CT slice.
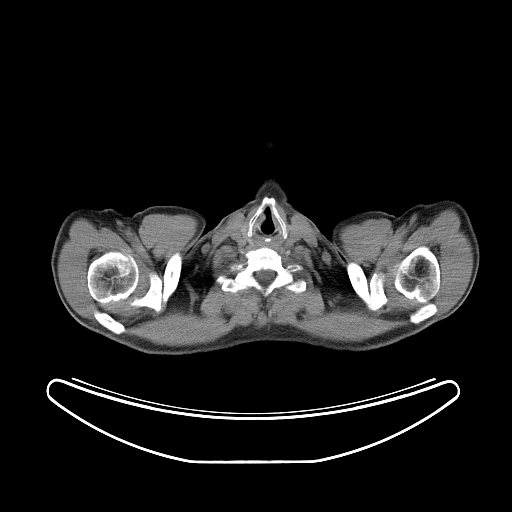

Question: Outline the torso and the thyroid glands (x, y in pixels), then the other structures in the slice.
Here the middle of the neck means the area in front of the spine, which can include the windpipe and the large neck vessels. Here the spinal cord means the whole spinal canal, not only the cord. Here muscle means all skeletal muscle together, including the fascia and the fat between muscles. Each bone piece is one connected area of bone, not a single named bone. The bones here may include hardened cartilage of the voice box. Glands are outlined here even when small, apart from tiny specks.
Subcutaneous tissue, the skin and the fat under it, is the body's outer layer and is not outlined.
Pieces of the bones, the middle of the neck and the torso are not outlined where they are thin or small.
Answer: The torso is outlined by 261,180 281,181 327,237 356,213 401,215 380,250 384,285 399,303 444,319 367,351 256,341 189,355 140,352 74,319 116,315 148,283 146,254 116,210 132,216 153,205 189,207 205,216 206,232 251,200. The thyroid glands are outlined by 244,225 246,225 247,226 247,230 246,231 246,232 245,233 246,234 246,235 244,237 241,234 241,228 242,227 242,226 243,226. The right arm is outlined by 79,207 91,207 97,209 109,207 113,208 120,215 121,218 130,229 145,254 148,264 147,283 137,300 130,307 116,314 107,315 98,318 73,318 63,305 57,293 53,281 50,263 54,240 64,218 72,210. The spinal cord is outlined by 261,270 264,270 265,271 266,270 270,270 271,271 273,271 275,273 275,276 273,278 273,279 268,284 266,285 263,285 261,284 256,279 254,275 254,274 256,272 258,271 260,271. The bones appear in 7 outlined pieces: piece 1: 419,246 428,247 436,256 440,271 440,281 439,282 439,289 437,293 431,299 431,301 437,308 436,313 423,321 415,324 410,321 409,316 421,304 414,299 409,299 395,288 393,268 396,263 398,263 414,249; piece 2: 262,246 275,250 284,264 296,263 302,267 292,275 295,280 306,281 304,291 296,293 282,286 263,297 253,287 235,292 222,290 216,278 221,274 234,277 237,272 231,270 230,266 244,263 247,259 240,252, around a hole outlined by 261,270 264,270 265,271 266,270 270,270 271,271 273,271 275,273 275,276 273,278 273,279 268,284 266,285 263,285 261,284 256,279 254,275 254,274 256,272 258,271 260,271; piece 3: 108,251 117,251 124,254 131,255 137,264 139,276 138,277 138,282 135,289 127,298 121,299 118,301 111,300 106,303 101,303 96,301 91,296 89,292 87,286 87,272 90,263 94,259 97,258 103,253; piece 4: 176,252 179,252 182,257 182,266 179,280 175,290 162,306 161,311 157,312 154,309 147,306 137,307 130,305 129,303 134,297 142,297 148,290 148,275 150,272 153,271 161,279 163,278 167,262 170,257; piece 5: 350,261 354,261 361,266 366,277 366,279 368,281 370,280 373,273 375,272 381,272 383,273 384,275 384,293 388,300 385,304 384,304 377,310 373,311 369,309 366,304 357,295 353,289 346,271 346,264; piece 6: 265,196 273,197 275,199 275,206 287,226 286,238 283,237 281,231 282,230 281,225 273,214 271,207 268,204 264,207 255,219 252,226 251,236 250,237 247,236 246,233 248,230 248,222 261,203 263,197; piece 7: 95,310 98,310 99,311 106,312 110,315 111,315 115,319 116,319 122,324 123,324 125,328 125,331 123,333 121,333 120,334 116,334 110,331 108,329 101,325 97,321 97,320 94,316 94,311. The middle of the neck is outlined by 268,205 280,225 282,237 284,239 287,238 287,227 289,226 292,231 302,238 301,242 297,245 284,248 271,248 266,245 258,247 241,247 235,245 230,236 240,232 244,238 246,236 250,238 256,219. The head and neck is outlined by 266,139 273,139 274,140 276,140 282,143 283,145 285,146 285,148 286,149 285,152 281,154 279,154 278,155 275,155 274,156 273,155 270,155 268,153 266,153 264,151 263,151 262,148 258,146 262,141. The muscle is outlined by 269,191 303,216 328,248 349,224 407,222 414,213 421,219 454,208 473,265 447,311 435,315 441,271 426,245 392,268 394,288 420,304 408,316 411,324 362,341 314,337 289,325 249,325 208,343 158,345 122,334 124,324 106,311 93,311 98,323 83,317 67,300 58,256 76,218 123,220 136,229 148,214 188,214 198,220 195,237 203,239; inner edges: 265,196 275,199 286,225 302,238 273,249 284,264 302,267 292,275 304,279 306,288 296,293 282,286 267,297 253,287 224,291 216,278 234,277 230,266 247,259 240,252 256,248 235,245 230,236 248,224, then 108,251 117,251 124,254 131,255 137,264 139,276 138,277 138,282 135,289 127,298 121,299 118,301 111,300 106,303 101,303 96,301 91,296 89,292 87,286 87,272 90,263 94,259 97,258 103,253, then 176,252 179,252 182,257 182,266 179,280 175,290 162,306 161,311 157,312 154,309 147,306 137,307 130,305 129,303 134,297 142,297 148,290 148,275 150,272 153,271 161,279 163,278 167,262 170,257, then 350,261 354,261 361,266 366,277 366,279 368,281 370,280 373,273 375,272 381,272 383,273 384,275 384,293 388,300 385,304 384,304 377,310 373,311 369,309 366,304 357,295 353,289 346,271 346,264. The left arm is outlined by 442,198 455,199 464,206 469,215 477,235 480,251 480,260 478,271 470,292 459,308 446,318 439,317 429,311 411,308 396,300 389,293 385,285 381,269 382,246 387,235 397,220 410,207 417,203 428,203.